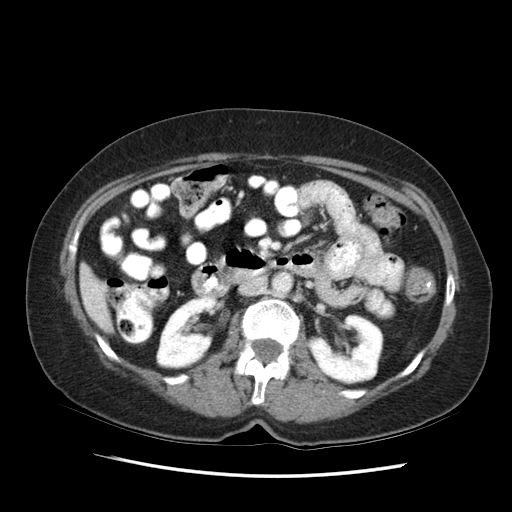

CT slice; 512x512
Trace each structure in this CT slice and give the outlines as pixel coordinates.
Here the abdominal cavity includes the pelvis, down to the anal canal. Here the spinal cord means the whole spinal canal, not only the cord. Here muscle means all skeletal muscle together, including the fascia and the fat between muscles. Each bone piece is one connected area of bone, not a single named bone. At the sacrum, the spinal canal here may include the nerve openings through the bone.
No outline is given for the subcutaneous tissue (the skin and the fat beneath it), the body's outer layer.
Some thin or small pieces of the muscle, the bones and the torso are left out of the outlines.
Outlined structures:
bones 1: (254, 405) (263, 402) (267, 381) (271, 377) (281, 380) (285, 379) (290, 369) (289, 349) (297, 338) (300, 320) (289, 304) (283, 300) (274, 298) (261, 299) (249, 305) (241, 318) (240, 325) (244, 345) (235, 362) (234, 373) (252, 375) (254, 377) (254, 390) (251, 397), around a hole outlined by (264, 364) (269, 362) (271, 360) (273, 360) (275, 359) (275, 358) (278, 355) (278, 354) (281, 351) (282, 349) (282, 347) (279, 343) (269, 338) (267, 338) (266, 339) (258, 339) (257, 340) (255, 340) (253, 341) (252, 343) (252, 347) (254, 351) (256, 353) (256, 357)
bones 2: (69, 263) (71, 263) (73, 261) (75, 257) (75, 254) (77, 250) (77, 242) (78, 241) (79, 234) (82, 228) (82, 224) (83, 223) (83, 220) (85, 217) (85, 212) (81, 216) (75, 228) (74, 234) (72, 237) (72, 239) (70, 241) (68, 245) (68, 258) (67, 259)
bones 3: (445, 305) (449, 305) (450, 304) (450, 303) (452, 301) (452, 300) (453, 299) (453, 297) (454, 296) (454, 290) (455, 289) (455, 283) (454, 282) (454, 278) (453, 277) (453, 275) (450, 270) (448, 270) (447, 271) (447, 273) (446, 274) (446, 291) (445, 292)
bones 4: (397, 378) (400, 378) (401, 377) (403, 377) (409, 374) (415, 369) (415, 368) (419, 363) (421, 358) (424, 354) (424, 352) (425, 351) (425, 348) (422, 348) (416, 354) (414, 358) (408, 364) (408, 365) (406, 366) (406, 367) (397, 375) (396, 377)
bones 5: (116, 362) (119, 362) (119, 358) (118, 357) (118, 356) (110, 347) (110, 346) (107, 343) (107, 342) (106, 342) (98, 333) (95, 332) (94, 333) (94, 336) (97, 340) (100, 347) (102, 349) (102, 350) (104, 352) (104, 353) (111, 360) (113, 360)
bones 6: (348, 398) (357, 398) (358, 397) (359, 397) (360, 396) (361, 396) (362, 395) (363, 395) (367, 391) (367, 389) (366, 388) (353, 388) (352, 389) (344, 389) (343, 390) (342, 390) (341, 391) (340, 391) (338, 393) (340, 395) (343, 395) (344, 396) (345, 396)
bones 7: (427, 212) (429, 211) (429, 209) (427, 207) (426, 204) (423, 201) (423, 200) (417, 194) (416, 194) (414, 192) (412, 191) (409, 191) (413, 199) (415, 200) (422, 207) (422, 208) (425, 211)
muscle: (298, 424) (347, 416) (418, 380) (430, 368) (451, 331) (460, 279) (451, 236) (428, 196) (408, 181) (346, 160) (317, 155) (245, 152) (208, 152) (181, 157) (118, 177) (91, 194) (72, 218) (59, 256) (61, 291) (86, 337) (86, 343) (100, 364) (114, 375) (141, 386) (182, 410) (210, 418) (233, 417) (253, 405) (250, 401) (253, 377) (233, 373) (234, 362) (243, 345) (240, 312) (232, 316) (220, 349) (189, 370) (190, 378) (182, 384) (168, 385) (156, 371) (122, 358) (119, 363) (111, 361) (99, 347) (93, 336) (95, 330) (81, 309) (75, 289) (75, 258) (71, 264) (66, 259) (67, 245) (85, 211) (83, 226) (100, 206) (117, 194) (140, 182) (185, 169) (194, 161) (269, 158) (317, 165) (383, 189) (405, 200) (428, 221) (440, 242) (446, 273) (450, 269) (454, 275) (456, 289) (451, 304) (445, 306) (444, 301) (439, 323) (424, 346) (426, 351) (420, 363) (409, 375) (397, 379) (396, 374) (368, 388) (363, 396) (348, 399) (337, 393) (344, 387) (329, 380) (310, 358) (300, 318) (299, 335) (290, 349) (290, 372) (283, 381) (271, 378) (264, 402) (256, 406) (278, 421) with a hole at (427, 212) (429, 211) (429, 209) (427, 207) (426, 204) (423, 201) (423, 200) (417, 194) (416, 194) (414, 192) (412, 191) (409, 191) (413, 199) (415, 200) (422, 207) (422, 208) (425, 211)
torso: (293, 447) (362, 443) (413, 431) (445, 417) (473, 389) (489, 351) (493, 290) (488, 265) (453, 190) (427, 159) (401, 141) (319, 112) (212, 108) (122, 135) (76, 171) (35, 231) (26, 270) (25, 315) (43, 372) (94, 417) (130, 431) (199, 444) (216, 443) (258, 424)
abdominal cavity: (345, 388) (367, 388) (402, 370) (438, 323) (443, 254) (427, 221) (405, 201) (317, 166) (206, 160) (124, 191) (84, 225) (76, 254) (78, 297) (88, 321) (120, 357) (162, 375) (186, 373) (219, 349) (236, 311) (242, 314) (249, 304) (274, 297) (303, 319) (311, 358)
spinal cord: (264, 364) (269, 362) (271, 360) (273, 360) (275, 359) (275, 358) (278, 355) (278, 354) (281, 351) (282, 349) (282, 347) (279, 343) (269, 338) (267, 338) (266, 339) (258, 339) (257, 340) (255, 340) (253, 341) (252, 343) (252, 347) (254, 351) (256, 353) (256, 357)